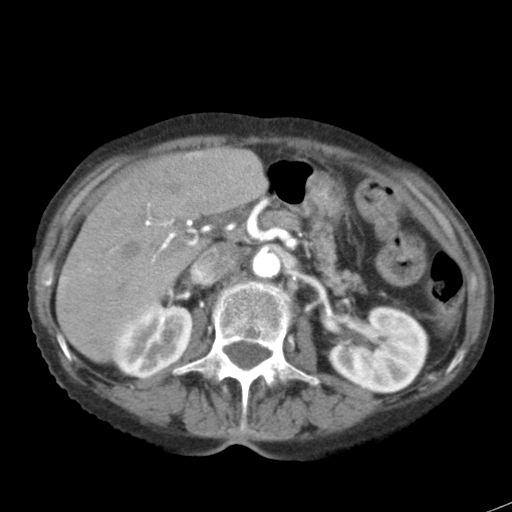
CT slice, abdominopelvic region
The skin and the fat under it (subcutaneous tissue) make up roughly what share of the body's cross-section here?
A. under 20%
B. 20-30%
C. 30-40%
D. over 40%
A. under 20%
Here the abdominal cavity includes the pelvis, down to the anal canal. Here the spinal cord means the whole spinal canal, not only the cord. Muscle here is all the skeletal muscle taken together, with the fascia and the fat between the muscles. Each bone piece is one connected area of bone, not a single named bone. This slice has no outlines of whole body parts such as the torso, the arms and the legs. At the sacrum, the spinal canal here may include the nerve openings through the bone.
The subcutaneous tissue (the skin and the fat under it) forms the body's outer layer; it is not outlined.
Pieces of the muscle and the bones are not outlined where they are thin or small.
The abdominal cavity is outlined by 251,144 333,158 401,190 466,282 465,331 445,367 377,397 317,370 302,315 299,353 286,357 292,298 254,279 217,295 210,346 206,311 194,310 182,358 161,373 110,380 72,353 52,283 110,186 153,156. The bones appear in 4 outlined pieces: piece 1: 248,280 280,286 290,296 293,321 283,341 284,356 320,382 311,385 288,379 269,387 257,379 249,389 246,426 241,430 237,381 227,377 216,382 198,371 174,375 172,370 209,351 214,339 211,312 218,295 with a hole at 240,341 243,341 244,342 247,342 252,344 258,344 262,347 266,348 270,352 270,355 267,358 260,361 257,364 254,365 250,368 243,368 234,363 229,358 229,357 224,351 224,348 226,346 232,343 239,342; piece 2: 101,177 103,177 102,177 99,181 97,182 97,183 93,185 90,188 87,193 83,197 79,204 76,207 74,211 65,222 64,221 64,214 67,207 73,198 77,195 81,190 87,186 92,185 94,181; piece 3: 428,202 430,202 436,208 437,208 445,216 445,217 448,220 454,233 454,239 451,239 448,236 447,233 445,231 443,227 437,220 434,214 434,212 433,211 434,210 433,209 433,207 431,205 428,205; piece 4: 459,348 464,348 465,349 466,349 466,352 465,353 465,355 464,356 463,359 459,363 458,363 448,373 446,373 445,372 445,371 446,370 446,369 447,368 449,363 454,357 454,356 455,355 457,350. The spinal cord is outlined by 240,341 243,341 244,342 247,342 252,344 258,344 262,347 266,348 270,352 270,355 267,358 260,361 257,364 254,365 250,368 243,368 234,363 229,358 229,357 224,351 224,348 226,346 232,343 239,342. The muscle is outlined by 198,134 272,135 273,136 292,136 310,138 313,140 341,146 360,153 369,158 372,162 382,163 393,167 405,167 411,169 417,172 431,184 439,194 442,200 463,226 464,230 468,235 478,254 479,259 484,269 486,279 485,317 482,322 482,327 480,335 476,343 476,348 471,352 471,355 467,357 466,359 467,361 462,370 442,389 425,398 422,398 403,407 376,412 366,418 362,423 346,429 341,433 328,435 324,437 318,437 313,439 306,439 303,441 299,440 260,441 242,437 206,438 171,433 162,427 155,425 146,425 141,423 135,417 133,417 115,404 100,397 82,385 72,381 61,365 59,358 54,349 54,346 50,341 45,328 38,319 34,305 34,294 35,293 34,274 38,258 42,249 45,234 49,227 49,224 62,202 62,200 66,196 72,186 96,164 106,159 109,156 119,152 124,152 126,150 146,147 158,142 177,137 with holes at 251,144 401,190 466,282 466,352 448,373 377,397 317,370 300,315 285,358 320,382 257,379 241,430 237,381 172,374 211,347 204,308 182,358 146,379 64,355 42,273 52,261 54,280 110,186 153,156 and at 101,177 103,177 102,177 99,181 97,182 97,183 93,185 90,188 87,193 83,197 79,204 76,207 74,211 65,222 64,221 64,214 67,207 73,198 77,195 81,190 87,186 92,185 94,181 and at 428,202 430,202 436,208 437,208 445,216 445,217 448,220 454,233 454,239 451,239 448,236 447,233 445,231 443,227 437,220 434,214 434,212 433,211 434,210 433,209 433,207 431,205 428,205 and at 472,274 474,274 474,275 475,276 475,277 476,278 476,288 475,289 473,289 473,288 472,287 472,286 471,285 471,277 472,276.